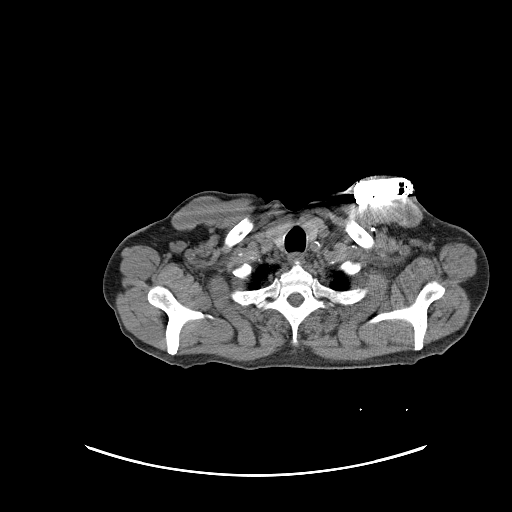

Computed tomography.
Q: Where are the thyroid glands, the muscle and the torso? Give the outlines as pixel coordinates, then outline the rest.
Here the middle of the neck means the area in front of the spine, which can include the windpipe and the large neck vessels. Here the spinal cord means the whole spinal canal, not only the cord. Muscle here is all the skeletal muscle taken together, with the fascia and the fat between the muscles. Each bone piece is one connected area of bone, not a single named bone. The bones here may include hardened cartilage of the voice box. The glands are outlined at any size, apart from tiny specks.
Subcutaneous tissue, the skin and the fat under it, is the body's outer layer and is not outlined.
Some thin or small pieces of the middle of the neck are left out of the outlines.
A: The thyroid glands appear in 2 outlined pieces: piece 1: (286, 222) (291, 222) (291, 223) (285, 230) (285, 231) (283, 234) (283, 241) (282, 242) (282, 245) (281, 246) (281, 247) (278, 248) (272, 241) (272, 239) (270, 236) (270, 232) (271, 231) (271, 230) (275, 226) (276, 226) (279, 224) (281, 224) (282, 223) (285, 223); piece 2: (299, 220) (313, 220) (319, 223) (320, 225) (320, 227) (319, 228) (319, 230) (318, 231) (317, 236) (316, 238) (313, 241) (309, 241) (308, 240) (307, 238) (307, 234) (306, 233) (306, 231) (305, 229) (302, 226) (302, 225) (298, 221) (297, 221). The muscle is outlined by (207, 195) (251, 198) (260, 207) (293, 214) (409, 199) (423, 215) (416, 235) (422, 242) (461, 242) (475, 250) (477, 271) (464, 286) (469, 313) (457, 330) (424, 346) (428, 308) (446, 291) (432, 279) (409, 305) (365, 322) (408, 322) (413, 350) (363, 360) (288, 350) (238, 361) (177, 355) (183, 326) (214, 317) (155, 284) (146, 299) (167, 317) (166, 351) (150, 345) (125, 327) (116, 307) (121, 251) (147, 245) (163, 253) (179, 234) (173, 215); inner edges: (299, 220) (328, 229) (327, 263) (335, 268) (348, 260) (359, 263) (360, 269) (347, 277) (349, 288) (367, 292) (352, 304) (311, 312) (299, 324) (294, 346) (291, 326) (280, 312) (241, 305) (230, 293) (247, 289) (250, 282) (232, 271) (258, 262) (260, 247) (251, 236), then (247, 216) (248, 216) (253, 221) (254, 223) (253, 228) (241, 240) (240, 240) (237, 243) (236, 243) (234, 245) (230, 247) (228, 247) (226, 246) (224, 243) (224, 239) (227, 233) (237, 223) (238, 223) (243, 218), then (348, 220) (353, 220) (355, 222) (356, 222) (357, 223) (357, 224) (359, 226) (360, 226) (373, 239) (373, 244) (372, 245) (372, 246) (370, 248) (365, 248) (364, 247) (361, 246) (359, 244) (358, 244) (346, 232) (346, 231) (345, 230) (345, 224) (346, 223) (346, 222). The torso is outlined by (375, 174) (411, 180) (418, 201) (436, 217) (467, 230) (487, 257) (485, 298) (467, 332) (442, 354) (411, 365) (352, 369) (246, 370) (218, 362) (183, 368) (140, 350) (121, 332) (102, 291) (108, 260) (127, 235) (165, 217) (187, 197) (204, 190) (252, 192) (295, 211). The middle of the neck is outlined by (295, 221) (304, 229) (309, 242) (317, 238) (321, 225) (328, 229) (324, 257) (328, 264) (347, 276) (349, 288) (338, 290) (321, 282) (297, 259) (290, 267) (278, 272) (269, 283) (248, 288) (260, 255) (260, 247) (251, 236) (271, 229) (269, 236) (279, 249) (286, 230). The spinal cord is outlined by (293, 293) (298, 293) (299, 294) (300, 294) (302, 296) (302, 297) (303, 298) (303, 299) (302, 300) (302, 301) (300, 303) (300, 304) (299, 305) (298, 305) (297, 306) (294, 306) (293, 305) (292, 305) (289, 302) (289, 301) (288, 300) (288, 297) (291, 294) (292, 294). The bones appear in 7 outlined pieces: piece 1: (296, 260) (321, 283) (335, 290) (360, 287) (366, 288) (367, 292) (352, 304) (337, 303) (329, 309) (318, 308) (311, 312) (299, 324) (298, 345) (294, 346) (291, 326) (280, 312) (272, 308) (262, 311) (254, 304) (241, 305) (231, 298) (230, 293) (265, 286), around a hole outlined by (293, 293) (298, 293) (299, 294) (300, 294) (302, 296) (302, 297) (303, 298) (303, 299) (302, 300) (302, 301) (300, 303) (300, 304) (299, 305) (298, 305) (297, 306) (294, 306) (293, 305) (292, 305) (289, 302) (289, 301) (288, 300) (288, 297) (291, 294) (292, 294); piece 2: (432, 280) (441, 284) (445, 288) (445, 291) (440, 298) (434, 300) (427, 308) (427, 327) (423, 338) (423, 347) (421, 349) (413, 349) (414, 330) (412, 325) (406, 320) (385, 319) (375, 323) (366, 324) (369, 319) (379, 313) (409, 306) (415, 300) (422, 287) (427, 282); piece 3: (155, 285) (161, 285) (167, 288) (181, 304) (193, 310) (200, 311) (206, 314) (210, 314) (213, 317) (212, 319) (204, 317) (187, 321) (180, 330) (179, 345) (177, 352) (174, 355) (167, 352) (165, 331) (168, 317) (163, 310) (152, 305) (147, 299) (148, 291) (151, 287); piece 4: (247, 216) (248, 216) (253, 221) (254, 223) (253, 228) (241, 240) (240, 240) (237, 243) (236, 243) (234, 245) (230, 247) (228, 247) (226, 246) (224, 243) (224, 239) (227, 233) (237, 223) (238, 223) (243, 218); piece 5: (348, 220) (353, 220) (355, 222) (356, 222) (357, 223) (357, 224) (359, 226) (360, 226) (373, 239) (373, 244) (372, 245) (372, 246) (370, 248) (365, 248) (364, 247) (361, 246) (359, 244) (358, 244) (346, 232) (346, 231) (345, 230) (345, 224) (346, 223) (346, 222); piece 6: (348, 260) (349, 261) (351, 261) (352, 262) (357, 262) (358, 263) (359, 263) (361, 266) (360, 269) (356, 273) (355, 273) (350, 276) (348, 276) (347, 275) (346, 275) (341, 270) (340, 270) (337, 268) (337, 267) (339, 265) (340, 265) (342, 263) (343, 263); piece 7: (244, 263) (246, 263) (247, 264) (250, 265) (253, 268) (253, 270) (252, 271) (251, 274) (247, 279) (242, 279) (239, 277) (237, 277) (232, 273) (232, 271) (235, 268) (236, 268) (237, 267) (240, 266) (242, 264) (243, 264).